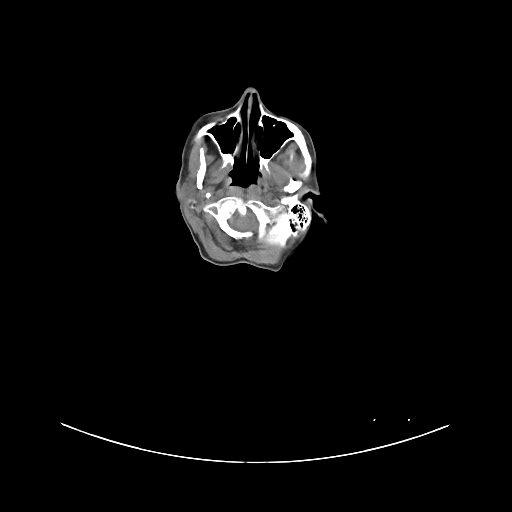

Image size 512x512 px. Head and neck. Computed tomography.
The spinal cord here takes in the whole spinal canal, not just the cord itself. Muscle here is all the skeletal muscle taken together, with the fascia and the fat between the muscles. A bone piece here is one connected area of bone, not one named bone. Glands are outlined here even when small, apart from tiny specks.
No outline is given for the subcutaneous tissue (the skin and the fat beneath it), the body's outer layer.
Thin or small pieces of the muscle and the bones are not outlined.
{"head_and_neck":[{"outer":[[249,85],[257,89],[267,108],[299,122],[309,132],[316,152],[320,194],[308,192],[305,196],[317,210],[323,207],[328,213],[327,223],[311,214],[307,238],[278,271],[244,263],[217,266],[204,260],[173,194],[183,144],[193,122],[205,113],[230,107]],"holes":[[[247,95],[248,97],[245,113],[246,147],[244,151],[244,162],[246,163],[248,161],[250,150],[253,159],[257,160],[259,173],[255,182],[245,186],[232,184],[232,177],[230,173],[234,167],[236,158],[237,159],[240,157],[242,151],[244,126],[241,110]],[[263,117],[268,117],[272,119],[275,122],[272,124],[273,127],[276,125],[277,122],[283,124],[285,129],[289,133],[289,136],[284,139],[268,157],[264,157],[261,154],[260,140],[256,134],[256,129],[258,127],[261,130],[260,138],[261,139],[263,137]],[[231,118],[234,118],[235,119],[231,126],[231,129],[233,131],[235,129],[235,127],[238,125],[239,126],[239,131],[235,139],[235,143],[232,151],[227,151],[226,152],[222,149],[219,142],[216,139],[211,130],[216,126],[224,125]],[[254,96],[256,96],[256,99],[258,101],[258,109],[259,110],[259,115],[258,116],[255,123],[252,127],[252,130],[251,129],[251,127],[250,126],[250,120],[251,119],[251,116],[252,115],[252,111],[253,110],[253,103],[254,102],[254,98],[253,97]]]}],"parotid_glands":[[[187,174],[189,174],[190,175],[190,177],[191,178],[191,179],[194,182],[194,183],[195,184],[195,193],[194,194],[194,196],[190,200],[185,200],[184,201],[182,201],[179,198],[179,189],[180,188],[180,186],[183,183],[183,182],[185,179],[185,177]]],"muscle":[[[204,136],[211,140],[221,158],[219,168],[223,169],[229,165],[232,168],[229,174],[234,186],[248,186],[255,183],[264,170],[269,172],[269,162],[290,141],[298,147],[304,164],[299,176],[305,180],[311,173],[307,189],[297,192],[303,181],[289,176],[282,187],[288,194],[281,196],[275,205],[266,204],[258,198],[227,195],[202,207],[202,210],[211,215],[218,226],[235,240],[255,235],[260,242],[283,248],[290,237],[295,238],[302,232],[283,252],[277,263],[262,263],[244,257],[227,261],[214,259],[208,255],[188,221],[183,202],[190,201],[195,196],[196,186],[199,190],[203,188],[207,168],[205,150],[200,146],[195,183],[188,173],[191,141],[192,138],[197,142]]],"spinal_cord":[[[248,209],[249,209],[253,213],[253,214],[255,216],[257,220],[257,229],[255,230],[247,230],[246,231],[242,231],[241,230],[236,230],[229,225],[228,220],[232,216],[232,215],[235,212],[235,211],[237,211],[242,216],[245,216],[247,214]]],"bones":[{"outer":[[289,177],[302,181],[296,192],[301,193],[299,198],[307,202],[311,221],[305,231],[300,231],[295,237],[290,236],[283,247],[260,241],[255,234],[235,239],[203,210],[206,204],[227,196],[258,199],[266,205],[275,206],[281,197],[289,194],[283,190]],"hole":[[248,209],[249,209],[253,213],[253,214],[255,216],[257,220],[257,229],[255,230],[247,230],[246,231],[242,231],[241,230],[236,230],[229,225],[228,220],[232,216],[232,215],[235,212],[235,211],[237,211],[242,216],[245,216],[247,214]]},{"outer":[[249,96],[253,98],[249,120],[252,131],[260,115],[259,100],[266,111],[287,119],[301,130],[312,160],[311,172],[307,178],[300,176],[305,169],[304,158],[293,140],[268,162],[269,171],[264,169],[259,172],[258,160],[254,159],[250,149],[245,162]],"hole":[[263,117],[268,117],[272,119],[275,122],[272,124],[273,127],[276,125],[277,122],[283,124],[285,129],[289,133],[289,136],[284,139],[268,157],[264,157],[261,154],[260,140],[256,134],[256,129],[258,127],[261,130],[260,138],[261,139],[263,137]]},{"outer":[[243,101],[240,110],[240,115],[243,126],[242,145],[240,155],[239,157],[235,158],[233,167],[229,164],[223,168],[220,168],[222,164],[222,158],[212,140],[207,135],[202,136],[197,141],[195,141],[193,138],[200,127],[219,117],[223,117],[233,111]],"hole":[[231,118],[234,118],[235,119],[231,126],[231,129],[233,131],[235,129],[235,127],[238,125],[239,126],[239,131],[235,139],[235,143],[232,151],[227,151],[226,152],[222,149],[219,142],[216,139],[211,130],[216,126],[224,125]]},[[200,147],[202,147],[204,150],[204,157],[205,158],[205,163],[206,164],[206,168],[205,169],[205,173],[204,174],[204,177],[202,182],[202,188],[201,189],[199,189],[196,185],[196,175],[200,164],[200,161],[199,160],[199,149]]]}